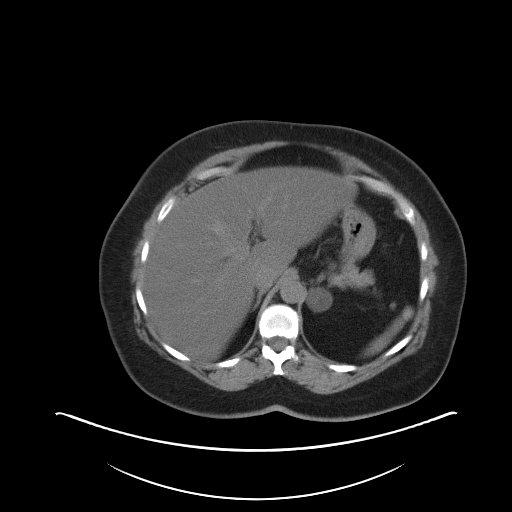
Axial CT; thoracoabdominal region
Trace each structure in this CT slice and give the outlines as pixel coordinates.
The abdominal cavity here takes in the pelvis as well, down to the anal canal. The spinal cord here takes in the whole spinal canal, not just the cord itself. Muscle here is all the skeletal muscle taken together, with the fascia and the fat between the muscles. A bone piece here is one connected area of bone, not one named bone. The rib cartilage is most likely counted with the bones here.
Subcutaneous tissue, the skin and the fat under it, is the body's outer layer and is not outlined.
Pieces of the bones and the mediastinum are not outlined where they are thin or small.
Outlined structures:
mediastinum: 290,279 292,280 297,280 303,285 303,288 304,289 304,292 299,302 299,307 297,308 297,311 294,308 285,303 272,303 269,304 274,294 276,292 276,290 278,289 278,287 280,284 283,282 284,280 289,280
torso: 240,119 336,124 369,132 411,157 439,189 463,236 467,284 448,365 438,382 417,401 378,415 339,422 306,420 281,411 210,418 150,397 124,370 109,338 98,297 98,255 106,230 143,170 163,149 197,129
bones 1: 272,304 285,304 294,309 300,317 298,336 294,343 295,352 298,357 298,360 295,361 291,358 285,360 281,365 283,371 282,375 274,375 273,363 269,359 261,357 262,339 258,332 259,330 258,321 262,311 with a hole at 275,336 278,336 279,337 283,337 284,338 285,338 286,339 287,339 287,340 288,341 288,343 284,347 284,348 283,348 280,351 276,351 275,350 274,350 268,344 268,340 269,339 270,339 272,337 274,337
bones 2: 353,175 365,175 366,176 369,176 372,178 380,180 390,185 406,200 409,205 413,209 414,218 415,219 414,224 413,225 411,225 405,218 400,209 400,207 396,201 391,196 387,194 370,189 361,181 355,178
bones 3: 217,166 231,167 233,168 233,169 230,171 226,171 223,173 221,173 217,175 214,175 211,177 209,177 203,180 198,180 194,177 194,175 196,173 202,170 204,170 208,168 211,168 212,167 216,167
bones 4: 171,196 174,196 175,197 175,198 176,199 175,200 175,202 173,204 173,206 171,208 171,209 169,211 169,212 159,223 157,221 157,216 158,215 158,213 159,212 162,205 164,203 164,202 169,197 170,197
bones 5: 408,334 411,334 411,335 412,336 411,337 410,340 401,349 400,349 395,353 394,353 389,356 387,356 386,357 383,356 383,354 386,351 387,351 391,347 392,347 396,343 397,343 406,335 407,335
bones 6: 328,364 353,364 354,365 356,365 357,366 357,368 355,370 354,370 353,371 346,371 345,372 338,372 337,371 335,371 334,370 333,370 332,369 330,369 328,367 328,366 327,365
bones 7: 162,342 164,342 168,344 176,350 181,352 183,354 187,356 190,359 190,360 188,361 186,361 185,360 181,360 180,359 178,359 176,358 174,356 170,354 162,346 161,344
bones 8: 137,285 141,289 141,291 143,295 143,299 145,302 145,305 147,309 147,314 146,315 145,315 142,312 141,309 138,305 138,302 137,301 137,299 136,298 136,294 135,293 135,287
bones 9: 237,356 238,356 239,357 240,357 240,360 237,363 236,363 234,365 233,365 230,367 217,367 215,365 215,363 216,363 217,362 219,362 220,361 222,361 223,360 225,360 226,359 229,359 230,358 235,358
bones 10: 425,276 428,277 428,287 427,288 427,291 426,292 426,294 425,295 425,296 424,297 423,300 422,301 419,301 419,290 420,289 420,284 421,283 421,280 423,278 423,277 424,277
bones 11: 145,240 148,240 148,241 149,242 149,249 148,250 148,253 147,254 147,257 146,258 146,260 145,261 145,262 144,263 143,263 141,261 141,251 142,250 142,247 143,246 143,244 144,243 144,241
spinal cord: 275,336 278,336 279,337 283,337 284,338 285,338 286,339 287,339 287,340 288,341 288,343 284,347 284,348 283,348 280,351 276,351 275,350 274,350 268,344 268,340 269,339 270,339 272,337 274,337
muscle: 268,140 309,141 339,148 386,176 424,219 439,260 429,325 422,346 375,376 338,392 314,393 282,376 285,361 299,360 295,347 299,330 305,345 333,363 326,365 338,373 353,372 359,365 382,355 386,358 395,354 411,340 413,336 408,332 416,316 418,302 424,300 428,291 429,277 425,275 421,279 421,263 428,257 428,248 424,241 419,247 413,227 416,222 414,209 399,192 380,179 345,172 335,157 319,149 299,144 282,145 256,152 236,168 217,165 196,172 193,175 196,180 205,180 179,200 171,195 163,202 156,216 158,225 151,241 145,239 140,251 143,269 141,288 137,284 134,287 137,305 149,318 162,341 161,346 170,355 181,361 191,359 214,363 217,368 230,368 241,360 239,355 258,333 261,339 260,357 272,363 273,376 237,391 218,389 161,356 138,337 134,328 130,284 132,251 155,205 194,165 210,155
abdominal cavity: 289,145 332,156 345,173 395,201 413,228 421,261 413,321 407,334 371,361 334,363 306,345 298,313 304,285 284,279 241,353 216,362 192,359 163,341 148,316 142,275 154,234 174,204 207,179 256,153